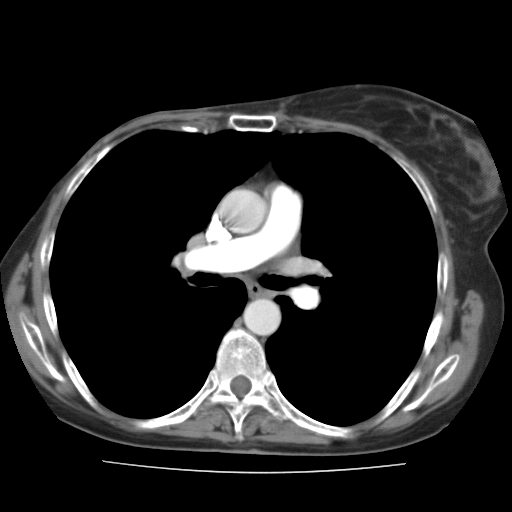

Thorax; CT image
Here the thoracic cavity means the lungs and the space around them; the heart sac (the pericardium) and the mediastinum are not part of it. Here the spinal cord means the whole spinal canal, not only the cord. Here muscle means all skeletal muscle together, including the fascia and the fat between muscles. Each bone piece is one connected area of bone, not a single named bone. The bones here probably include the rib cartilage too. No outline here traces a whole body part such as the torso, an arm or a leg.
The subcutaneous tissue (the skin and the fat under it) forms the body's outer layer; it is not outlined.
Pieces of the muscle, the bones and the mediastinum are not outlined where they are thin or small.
The bones appear in 12 outlined pieces: piece 1: (230, 328) (243, 329) (260, 343) (279, 390) (293, 406) (322, 423) (352, 427) (353, 435) (318, 433) (289, 419) (278, 419) (256, 405) (243, 419) (240, 441) (227, 406) (221, 403) (199, 407) (179, 423) (154, 428) (134, 425) (135, 419) (155, 418) (177, 409) (199, 391) with a hole at (240, 375) (241, 375) (242, 376) (245, 377) (249, 381) (249, 382) (250, 383) (250, 388) (249, 389) (249, 390) (243, 396) (242, 396) (241, 397) (239, 397) (238, 396) (237, 396) (232, 391) (232, 390) (231, 389) (231, 382) (232, 381) (232, 380) (237, 376) (239, 376); piece 2: (235, 113) (237, 114) (271, 114) (272, 115) (274, 115) (276, 117) (277, 121) (278, 122) (278, 125) (275, 129) (274, 129) (272, 131) (269, 131) (268, 132) (262, 132) (261, 131) (239, 131) (232, 128) (228, 128) (227, 127) (227, 120) (230, 115) (234, 114); piece 3: (21, 312) (22, 312) (31, 322) (34, 323) (39, 328) (44, 342) (44, 345) (46, 349) (46, 352) (47, 353) (48, 358) (50, 362) (58, 371) (58, 372) (64, 377) (65, 379) (64, 382) (62, 382) (54, 378) (51, 375) (39, 357) (30, 346) (20, 322) (20, 313); piece 4: (455, 353) (459, 355) (459, 360) (457, 365) (449, 377) (446, 380) (437, 385) (426, 396) (426, 397) (418, 406) (413, 409) (403, 411) (402, 409) (404, 406) (407, 405) (412, 401) (418, 398) (424, 392) (428, 386) (437, 366) (446, 357) (451, 354) (454, 354); piece 5: (415, 367) (419, 367) (421, 371) (416, 382) (414, 384) (413, 387) (411, 389) (409, 393) (402, 401) (402, 402) (388, 416) (387, 416) (380, 422) (378, 423) (375, 423) (374, 422) (375, 421) (375, 419) (378, 412) (394, 395) (397, 390) (407, 378) (411, 371); piece 6: (393, 154) (394, 155) (396, 155) (398, 157) (400, 157) (404, 159) (412, 167) (415, 168) (424, 179) (432, 195) (433, 200) (436, 206) (436, 213) (434, 216) (434, 221) (433, 222) (432, 218) (430, 215) (429, 210) (419, 190) (406, 172) (392, 158) (392, 155); piece 7: (63, 350) (65, 350) (67, 352) (68, 355) (72, 360) (74, 365) (76, 367) (78, 372) (85, 382) (89, 390) (97, 400) (98, 407) (100, 409) (100, 411) (98, 411) (93, 408) (86, 401) (78, 391) (75, 385) (69, 377) (64, 367) (61, 358) (61, 353); piece 8: (108, 144) (112, 144) (113, 146) (89, 171) (89, 172) (82, 180) (78, 187) (72, 194) (70, 198) (67, 201) (67, 202) (66, 202) (64, 198) (64, 195) (65, 194) (65, 191) (67, 188) (67, 186) (70, 182) (72, 177) (90, 157) (94, 155) (103, 147); piece 9: (438, 310) (442, 311) (442, 313) (443, 314) (443, 321) (442, 322) (439, 333) (437, 336) (436, 341) (432, 346) (428, 355) (426, 357) (424, 357) (422, 355) (422, 348) (423, 347) (423, 344) (426, 337) (426, 334) (427, 333) (428, 328) (431, 323) (433, 316); piece 10: (440, 251) (442, 251) (445, 254) (445, 255) (446, 256) (446, 257) (447, 258) (447, 260) (448, 261) (448, 269) (447, 270) (447, 283) (446, 284) (446, 289) (445, 290) (445, 292) (441, 296) (437, 296) (437, 266) (438, 265) (438, 253); piece 11: (44, 291) (47, 291) (51, 294) (51, 297) (53, 301) (54, 309) (55, 310) (55, 314) (56, 315) (56, 318) (57, 319) (57, 327) (58, 328) (58, 334) (56, 337) (53, 335) (50, 329) (49, 324) (47, 321) (47, 319) (45, 315) (44, 307) (43, 306) (43, 293); piece 12: (51, 230) (54, 230) (55, 231) (55, 235) (54, 236) (54, 240) (53, 241) (53, 247) (52, 248) (51, 257) (49, 262) (49, 267) (47, 269) (45, 269) (44, 270) (42, 269) (41, 267) (41, 261) (40, 260) (40, 251) (41, 250) (41, 246) (42, 245) (44, 238). The mediastinum appears in 2 outlined pieces: piece 1: (209, 221) (205, 235) (213, 253) (243, 268) (293, 254) (301, 221) (300, 252) (307, 274) (263, 274) (258, 279) (268, 288) (292, 288) (289, 295) (274, 297) (281, 322) (264, 349) (252, 334) (231, 327) (247, 301) (244, 283) (235, 277) (194, 271) (186, 264) (189, 240); piece 2: (269, 160) (272, 162) (273, 168) (280, 178) (284, 182) (290, 185) (293, 188) (298, 190) (300, 192) (301, 195) (298, 191) (293, 189) (287, 184) (279, 180) (276, 179) (266, 180) (262, 177) (258, 177) (255, 179) (247, 181) (245, 183) (243, 183) (234, 187) (246, 180). The spinal cord is outlined by (240, 375) (241, 375) (242, 376) (245, 377) (249, 381) (249, 382) (250, 383) (250, 388) (249, 389) (249, 390) (243, 396) (242, 396) (241, 397) (239, 397) (238, 396) (237, 396) (232, 391) (232, 390) (231, 389) (231, 382) (232, 381) (232, 380) (237, 376) (239, 376). The thoracic cavity is outlined by (203, 128) (351, 134) (418, 190) (436, 240) (433, 315) (413, 368) (370, 417) (317, 420) (268, 366) (275, 297) (293, 288) (259, 279) (308, 274) (304, 199) (270, 159) (184, 249) (194, 272) (246, 290) (190, 399) (120, 414) (66, 350) (49, 268) (68, 201) (127, 138). The pericardium is outlined by (258, 178) (262, 178) (266, 181) (279, 181) (298, 192) (301, 196) (302, 212) (297, 247) (295, 251) (289, 256) (280, 259) (254, 265) (251, 267) (236, 266) (220, 258) (214, 253) (208, 243) (206, 230) (214, 211) (218, 206) (220, 206) (225, 196) (234, 188). The muscle is outlined by (194, 110) (243, 113) (230, 114) (226, 127) (219, 129) (182, 123) (145, 129) (114, 146) (106, 144) (71, 177) (57, 227) (42, 240) (40, 267) (48, 269) (50, 286) (50, 292) (42, 293) (44, 315) (52, 335) (56, 338) (59, 334) (65, 348) (60, 353) (61, 362) (85, 401) (98, 412) (98, 401) (120, 415) (134, 418) (131, 423) (140, 429) (179, 424) (199, 408) (225, 405) (240, 442) (244, 440) (244, 419) (259, 406) (278, 420) (348, 439) (354, 435) (350, 426) (376, 414) (373, 422) (380, 423) (414, 387) (422, 371) (415, 365) (421, 353) (424, 358) (429, 355) (444, 321) (443, 311) (434, 313) (434, 308) (436, 298) (446, 292) (449, 269) (446, 254) (438, 252) (433, 223) (437, 206) (425, 179) (404, 158) (393, 153) (391, 157) (351, 133) (278, 129) (277, 117) (264, 113) (271, 111) (347, 122) (372, 130) (427, 176) (450, 223) (455, 295) (463, 299) (473, 289) (484, 303) (483, 365) (469, 394) (407, 432) (355, 446) (234, 446) (208, 439) (135, 437) (85, 419) (40, 392) (12, 335) (3, 294) (23, 254) (37, 241) (53, 194) (90, 151) (119, 128) (156, 113) with holes at (21, 312) (22, 312) (31, 322) (34, 323) (39, 328) (44, 342) (44, 345) (46, 349) (46, 352) (47, 353) (48, 358) (50, 362) (58, 371) (58, 372) (64, 377) (65, 379) (64, 382) (62, 382) (54, 378) (51, 375) (39, 357) (30, 346) (20, 322) (20, 313) and at (455, 353) (459, 355) (459, 360) (457, 365) (449, 377) (446, 380) (437, 385) (426, 396) (426, 397) (418, 406) (413, 409) (403, 411) (402, 409) (404, 406) (407, 405) (412, 401) (418, 398) (424, 392) (428, 386) (437, 366) (446, 357) (451, 354) (454, 354).